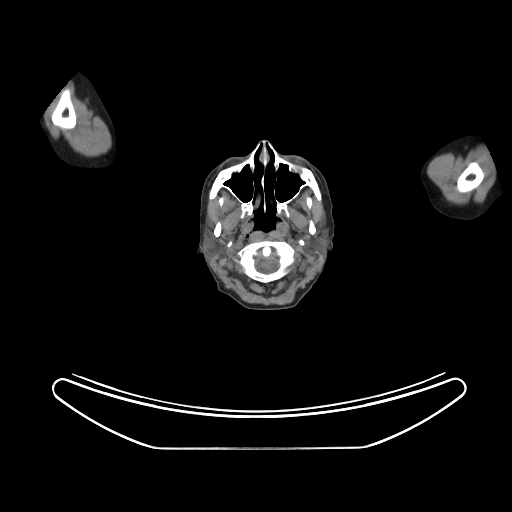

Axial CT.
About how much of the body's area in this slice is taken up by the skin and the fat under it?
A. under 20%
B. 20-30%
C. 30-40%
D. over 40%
B. 20-30%
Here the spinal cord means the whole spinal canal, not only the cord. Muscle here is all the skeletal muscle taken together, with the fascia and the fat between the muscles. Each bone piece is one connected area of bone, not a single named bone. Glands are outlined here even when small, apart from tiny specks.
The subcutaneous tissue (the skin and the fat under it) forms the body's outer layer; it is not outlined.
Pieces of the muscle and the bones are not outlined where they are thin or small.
{"right_arm":[[[80,71],[82,71],[92,82],[110,115],[115,129],[116,146],[117,147],[116,148],[116,155],[113,162],[110,165],[102,168],[93,168],[92,169],[74,168],[73,167],[70,167],[63,163],[55,155],[39,124],[39,120],[52,100],[54,99],[62,88]]],"brain":[[[273,254],[274,254],[274,255],[275,256],[276,257],[275,258],[275,259],[274,259],[273,259],[272,259],[271,258],[270,258],[269,257],[270,257],[271,256],[272,255]],[[260,255],[261,256],[262,257],[263,258],[263,259],[262,259],[261,259],[260,259],[259,259],[258,260],[257,259],[257,258],[258,257],[258,256],[259,256]]],"bones":[{"outer":[[263,140],[269,142],[282,158],[312,171],[322,196],[320,201],[306,186],[288,205],[288,217],[283,212],[276,215],[274,200],[272,202],[271,196],[270,199],[272,188],[275,189],[273,197],[283,202],[298,190],[302,181],[289,172],[285,164],[281,164],[275,182],[272,175],[274,155],[269,148],[264,177],[265,211],[261,201],[252,217],[245,215],[241,218],[240,203],[223,187],[209,199],[209,191],[218,172],[245,160]],"holes":[[[246,166],[247,166],[249,168],[249,171],[251,175],[251,185],[252,186],[252,191],[253,192],[253,196],[252,196],[247,201],[244,201],[242,200],[236,194],[236,193],[232,189],[232,188],[227,184],[227,182],[229,181],[233,177],[234,174],[239,174]],[[259,150],[259,152],[258,153],[258,160],[259,161],[259,162],[261,164],[261,167],[262,168],[262,169],[261,170],[261,172],[259,175],[259,174],[257,171],[257,166],[256,165],[256,162],[255,161],[255,155],[256,154],[257,151],[258,151]]]},{"outer":[[262,240],[285,241],[295,251],[294,252],[294,261],[287,268],[288,269],[288,272],[284,276],[276,280],[269,282],[260,282],[251,278],[245,274],[243,267],[236,260],[236,259],[239,258],[237,255],[237,252],[245,245],[252,242],[256,242]],"hole":[[273,254],[274,254],[274,255],[276,257],[277,259],[277,261],[278,262],[278,267],[277,269],[269,273],[264,273],[263,272],[261,272],[257,270],[255,266],[255,263],[256,262],[256,260],[258,256],[260,255],[263,258],[268,258],[270,257]]},[[68,86],[68,88],[70,91],[70,98],[75,112],[76,123],[75,124],[75,126],[73,128],[71,128],[70,129],[62,129],[58,126],[56,126],[53,124],[51,120],[51,115],[55,110],[55,108],[58,105],[59,97],[61,93],[66,88],[67,88]],[[473,161],[477,162],[477,163],[482,169],[484,173],[483,179],[478,185],[478,186],[474,189],[470,191],[468,191],[467,192],[460,192],[456,189],[456,184],[457,183],[457,179],[460,175],[460,174],[468,165],[468,164],[470,162],[472,162]]],"spinal_cord":[[[264,258],[269,258],[272,260],[275,260],[276,258],[278,262],[278,267],[277,269],[269,273],[264,273],[263,272],[261,272],[257,270],[255,266],[255,263],[256,262],[256,260],[258,261],[259,260],[263,260]]],"muscle":[{"outer":[[314,173],[319,180],[326,214],[317,227],[311,218],[308,220],[308,232],[314,235],[312,248],[323,256],[318,270],[289,303],[263,305],[243,301],[224,286],[210,265],[219,249],[217,238],[222,223],[218,220],[213,227],[212,219],[206,214],[209,188],[209,200],[225,189],[239,203],[239,217],[252,218],[254,230],[268,232],[276,227],[277,217],[282,213],[287,218],[290,216],[289,205],[304,188],[308,187],[318,201],[320,202],[322,200]],"holes":[[[262,240],[285,241],[295,251],[294,252],[294,261],[287,268],[288,269],[288,272],[284,276],[276,280],[269,282],[260,282],[251,278],[245,274],[243,267],[236,260],[236,259],[239,258],[237,255],[237,252],[245,245],[252,242],[256,242]],[[307,197],[310,197],[311,198],[311,207],[310,208],[309,208],[307,206],[307,204],[306,203],[306,198]]]},{"outer":[[70,82],[73,82],[75,84],[77,89],[84,97],[89,98],[90,105],[102,118],[109,130],[112,142],[111,148],[102,155],[96,157],[86,157],[75,152],[62,137],[56,140],[54,139],[45,124],[45,116],[47,113],[45,111],[46,108],[62,88]],"hole":[[68,86],[68,88],[70,91],[70,98],[75,112],[76,123],[75,124],[75,126],[73,128],[71,128],[70,129],[62,129],[58,126],[56,126],[53,124],[51,120],[51,115],[55,110],[55,108],[58,105],[59,97],[61,93],[66,88],[67,88]]},{"outer":[[479,144],[486,145],[495,165],[495,177],[493,185],[488,191],[482,203],[475,203],[471,200],[467,204],[464,205],[451,204],[444,198],[440,190],[428,178],[426,173],[428,165],[436,156],[442,153],[452,152],[455,154],[459,153],[465,154],[471,148]],"hole":[[473,161],[477,162],[477,163],[482,169],[484,173],[483,179],[478,185],[478,186],[474,189],[470,191],[468,191],[467,192],[460,192],[456,189],[456,184],[457,183],[457,179],[460,175],[460,174],[468,165],[468,164],[470,162],[472,162]]}],"parotid_glands":[[[206,215],[209,216],[212,221],[212,227],[213,228],[212,229],[212,233],[213,235],[216,237],[216,239],[218,242],[218,249],[212,256],[209,262],[206,261],[204,259],[204,252],[202,247],[203,234],[204,233],[203,229],[205,227],[205,217]],[[326,215],[326,221],[327,222],[327,226],[329,228],[329,232],[328,233],[328,242],[326,246],[326,250],[325,251],[325,254],[324,256],[318,251],[317,251],[313,248],[312,238],[313,236],[314,236],[316,234],[317,228],[319,224],[323,219],[324,216]]],"left_arm":[[[470,132],[478,132],[480,134],[489,151],[489,153],[495,165],[497,175],[501,185],[502,197],[487,213],[480,216],[478,218],[473,220],[459,220],[458,219],[448,217],[434,209],[428,200],[426,192],[420,180],[420,170],[425,161],[438,148],[454,138]]],"head":[{"outer":[[261,139],[268,140],[279,154],[302,156],[319,169],[327,182],[335,224],[334,244],[327,254],[323,270],[316,282],[294,307],[281,310],[256,310],[241,306],[218,290],[203,255],[196,254],[199,242],[200,195],[206,176],[224,159],[230,156],[249,154]],"holes":[[[268,149],[273,155],[273,181],[278,180],[280,166],[285,165],[301,183],[283,201],[274,197],[276,189],[271,188],[269,199],[271,197],[272,203],[273,200],[277,219],[275,227],[265,231],[254,229],[253,217],[261,202],[262,210],[265,212],[267,209]],[[246,166],[247,166],[249,168],[249,171],[251,175],[251,185],[252,186],[252,191],[253,192],[253,196],[252,196],[247,201],[244,201],[242,200],[236,194],[236,193],[232,189],[232,188],[227,184],[227,182],[229,181],[233,177],[234,174],[239,174]],[[259,150],[259,152],[258,153],[258,160],[259,161],[259,162],[261,164],[261,167],[262,168],[262,169],[261,170],[261,172],[259,175],[259,174],[257,171],[257,166],[256,165],[256,162],[255,161],[255,155],[256,154],[257,151],[258,151]]]}]}